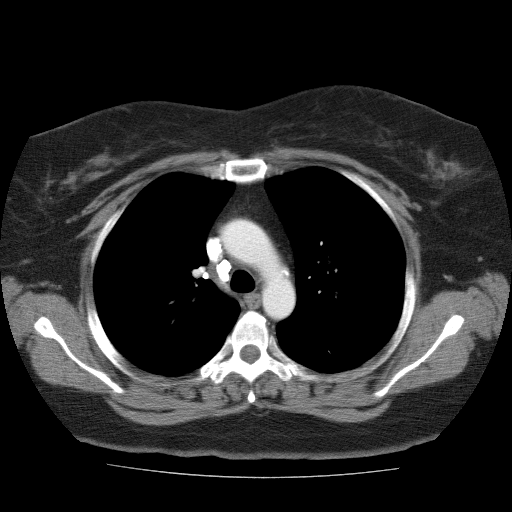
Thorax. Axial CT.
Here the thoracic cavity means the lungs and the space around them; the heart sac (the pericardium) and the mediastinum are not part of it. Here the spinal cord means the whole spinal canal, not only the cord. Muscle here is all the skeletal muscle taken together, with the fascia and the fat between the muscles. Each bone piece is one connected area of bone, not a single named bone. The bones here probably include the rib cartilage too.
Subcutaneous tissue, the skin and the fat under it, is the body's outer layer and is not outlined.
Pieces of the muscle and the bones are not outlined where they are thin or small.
Outlines (x, y in pixels):
thoracic cavity 1: 170 172; 191 172; 212 180; 235 183; 232 193; 207 232; 204 246; 208 260; 205 267; 207 277; 222 292; 238 303; 239 314; 220 348; 205 363; 183 375; 166 377; 137 367; 112 343; 96 308; 93 275; 102 246; 127 206; 144 187
thoracic cavity 2: 306 166; 320 166; 333 170; 372 198; 398 231; 405 255; 403 301; 396 327; 388 341; 361 365; 334 373; 322 373; 297 362; 282 350; 275 335; 277 324; 285 320; 296 306; 296 275; 292 246; 268 196; 265 179; 283 169; 290 170
spinal cord: 247 345; 253 345; 254 346; 255 346; 259 350; 259 356; 254 361; 253 361; 252 362; 248 362; 247 361; 246 361; 245 360; 244 360; 240 356; 240 352; 241 351; 241 350; 245 346; 246 346
muscle 1: 273 145; 347 155; 396 183; 421 207; 410 212; 423 251; 425 300; 441 290; 465 290; 485 270; 505 276; 508 296; 499 334; 463 371; 395 395; 380 415; 361 422; 251 406; 239 413; 171 425; 130 421; 101 394; 53 385; 36 374; 10 327; 1 281; 6 275; 15 276; 34 292; 59 293; 75 303; 80 255; 88 241; 74 238; 89 216; 67 220; 103 189; 171 154; 226 148; 247 157; inner edges: 252 157; 288 170; 306 166; 336 172; 337 168; 347 169; 386 202; 399 225; 405 265; 412 269; 416 286; 413 312; 401 340; 372 371; 333 382; 300 380; 294 375; 284 381; 270 370; 252 384; 235 372; 220 383; 210 378; 189 381; 195 370; 166 377; 144 371; 127 359; 127 367; 148 381; 128 376; 102 352; 87 322; 88 299; 95 303; 91 253; 99 230; 128 199; 130 202; 164 174, then 41 316; 45 316; 50 320; 54 329; 63 338; 70 351; 79 360; 97 370; 100 370; 104 372; 114 382; 125 390; 124 393; 115 392; 99 378; 82 368; 67 355; 61 345; 55 339; 49 337; 44 337; 38 333; 34 328; 34 323, then 454 314; 461 315; 464 319; 460 328; 454 334; 446 337; 424 361; 421 362; 415 368; 411 369; 399 378; 383 396; 381 397; 373 396; 372 395; 373 392; 382 388; 389 381; 392 376; 400 369; 415 361; 424 354; 436 340; 446 321, then 250 388; 252 388; 253 389; 253 391; 254 392; 254 394; 255 395; 255 400; 252 403; 250 403; 248 401; 248 400; 247 399; 247 396; 248 395; 248 392; 249 391; 249 390; 250 389
muscle 2: 384 346; 385 346; 384 347; 384 351; 374 361; 373 361; 371 363; 370 363; 367 365; 365 365; 364 366; 361 366; 360 367; 358 367; 361 366; 368 360; 371 359; 378 352; 379 352; 380 351; 380 350; 381 350; 384 347
mediastinum: 262 180; 264 180; 267 196; 287 235; 294 260; 295 306; 285 319; 276 324; 274 333; 270 331; 266 318; 258 311; 249 309; 239 315; 239 303; 222 291; 208 277; 208 272; 206 271; 209 262; 205 246; 208 232; 233 193; 236 184
bones 1: 407 265; 416 286; 413 312; 395 349; 372 371; 333 382; 300 380; 294 375; 284 381; 270 370; 252 384; 235 372; 220 383; 210 378; 189 381; 249 310; 265 318; 288 357; 311 370; 334 374; 371 364; 385 351; 397 327; inner edge: 247 345; 253 345; 254 346; 255 346; 259 350; 259 356; 254 361; 253 361; 252 362; 248 362; 247 361; 246 361; 245 360; 244 360; 240 356; 240 352; 241 351; 241 350; 245 346; 246 346
bones 2: 252 157; 259 157; 267 163; 279 168; 284 168; 278 170; 273 175; 261 180; 256 180; 252 182; 245 183; 236 183; 225 179; 223 180; 212 179; 207 176; 192 172; 193 170; 203 166; 216 165; 220 162; 225 162; 231 159; 251 158
bones 3: 90 298; 91 298; 91 301; 95 305; 97 315; 107 337; 114 347; 125 358; 127 367; 130 370; 134 372; 137 376; 147 380; 148 382; 139 381; 123 373; 119 370; 102 352; 96 343; 90 331; 87 322; 86 306; 87 305; 88 299
bones 4: 454 314; 461 315; 464 319; 460 328; 454 334; 446 337; 424 361; 421 362; 415 368; 411 369; 399 378; 383 396; 381 397; 373 396; 372 395; 373 392; 382 388; 389 381; 392 376; 400 369; 415 361; 424 354; 436 340; 446 321
bones 5: 41 316; 45 316; 50 320; 54 329; 63 338; 70 351; 79 360; 97 370; 100 370; 104 372; 114 382; 125 390; 124 393; 115 392; 99 378; 82 368; 67 355; 61 345; 55 339; 49 337; 44 337; 38 333; 34 328; 34 323
bones 6: 337 168; 344 168; 358 174; 361 177; 362 177; 375 191; 377 192; 377 193; 386 202; 386 203; 392 210; 400 228; 400 231; 399 232; 392 220; 384 211; 384 210; 376 202; 376 201; 363 189; 362 189; 351 180; 338 172; 337 171
bones 7: 128 199; 129 199; 129 202; 128 204; 105 238; 101 246; 101 248; 98 253; 97 258; 95 261; 95 264; 94 265; 93 270; 92 270; 91 268; 91 253; 94 247; 95 241; 97 238; 99 230; 103 226; 107 219
torso: 328 84; 384 89; 471 123; 490 153; 507 209; 511 272; 499 335; 465 402; 434 439; 403 451; 366 457; 183 457; 119 451; 77 439; 34 383; 15 343; 4 302; 0 273; 4 208; 29 137; 92 111; 133 100; 161 99; 240 109